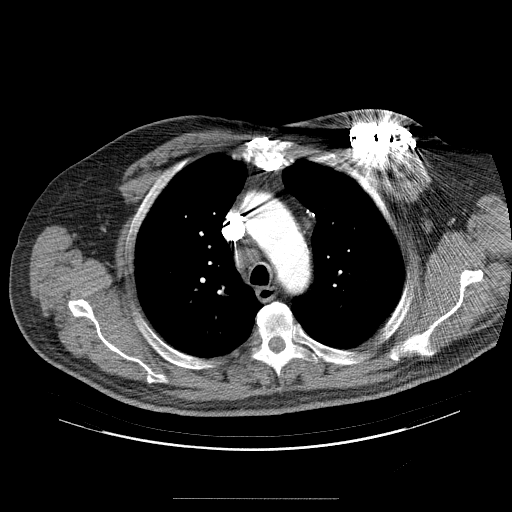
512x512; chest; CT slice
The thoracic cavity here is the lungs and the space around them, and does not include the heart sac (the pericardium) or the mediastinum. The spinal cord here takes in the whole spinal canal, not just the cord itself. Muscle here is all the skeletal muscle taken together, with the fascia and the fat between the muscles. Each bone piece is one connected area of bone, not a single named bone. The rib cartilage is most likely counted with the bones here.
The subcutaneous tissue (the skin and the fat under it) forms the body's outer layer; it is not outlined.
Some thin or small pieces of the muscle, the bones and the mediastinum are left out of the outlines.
{"muscle":[{"outer":[[216,128],[414,153],[431,181],[417,201],[404,204],[403,214],[418,254],[426,259],[447,230],[466,228],[478,198],[497,194],[508,204],[511,230],[511,277],[497,320],[423,361],[423,372],[391,385],[292,390],[241,400],[163,402],[146,383],[108,374],[87,358],[74,357],[30,294],[29,262],[36,238],[46,226],[64,226],[76,234],[73,245],[85,257],[113,264],[119,232],[134,212],[118,189],[128,166],[176,136]],"holes":[[[263,135],[339,155],[370,178],[397,229],[413,297],[387,339],[377,343],[378,329],[350,349],[368,354],[359,363],[294,357],[278,376],[242,346],[214,367],[186,368],[157,353],[134,321],[133,306],[151,324],[126,238],[156,178],[186,157],[230,154]],[[464,269],[481,269],[483,277],[480,281],[472,282],[465,287],[461,305],[452,314],[440,322],[429,335],[429,343],[437,351],[431,356],[407,352],[397,361],[390,358],[388,354],[391,348],[408,337],[424,331],[430,324],[459,300],[459,280],[460,274]],[[77,299],[84,299],[88,302],[98,322],[102,335],[110,343],[125,354],[139,359],[154,372],[164,374],[168,382],[147,382],[147,372],[141,365],[135,361],[125,359],[111,350],[100,339],[94,323],[88,317],[77,317],[73,315],[68,307],[68,301]]]}],"torso":[[[362,108],[407,116],[450,144],[491,155],[508,204],[511,230],[507,303],[491,349],[448,375],[377,399],[278,415],[199,417],[151,411],[118,401],[54,367],[28,344],[10,307],[10,258],[34,201],[68,166],[130,129],[178,115],[215,115],[275,126]]],"mediastinum":[[[244,161],[268,172],[282,170],[281,179],[284,190],[295,197],[315,218],[311,234],[314,279],[306,293],[292,298],[290,308],[279,300],[273,300],[263,305],[258,300],[253,288],[242,280],[236,268],[233,251],[222,234],[225,217],[247,177],[247,168]]],"thoracic_cavity":[[[214,152],[226,152],[234,160],[243,161],[246,168],[245,180],[224,217],[221,234],[232,251],[241,280],[252,288],[262,306],[255,314],[251,334],[241,345],[223,355],[201,357],[173,347],[155,331],[138,298],[133,261],[138,232],[158,196],[186,165]],[[301,158],[330,167],[355,180],[372,200],[395,236],[403,260],[405,280],[394,309],[385,322],[371,336],[350,349],[329,346],[314,339],[304,330],[291,310],[293,298],[306,294],[315,279],[312,234],[316,218],[295,196],[285,190],[282,179],[283,169]]],"bones":[{"outer":[[273,301],[287,305],[303,330],[314,340],[337,349],[365,352],[368,356],[359,363],[349,365],[326,362],[320,358],[314,363],[294,357],[281,368],[278,376],[268,364],[250,359],[247,347],[242,346],[236,356],[231,354],[252,334],[257,312],[264,305]],"hole":[[274,337],[279,337],[280,338],[281,338],[283,340],[283,341],[284,342],[284,347],[281,350],[280,350],[277,352],[276,352],[275,351],[274,351],[273,350],[272,350],[270,348],[270,347],[269,346],[269,342],[270,341],[270,340],[272,338],[273,338]]},[[263,135],[270,139],[292,141],[309,150],[335,153],[349,166],[361,174],[367,175],[384,201],[397,229],[397,235],[394,234],[370,196],[355,179],[342,171],[305,157],[296,159],[282,169],[268,171],[249,161],[234,159],[231,153],[238,146],[253,137]],[[464,269],[481,269],[483,277],[480,281],[472,282],[465,287],[461,305],[452,314],[440,322],[429,335],[429,343],[437,351],[431,356],[407,352],[397,361],[390,358],[388,354],[391,348],[408,337],[424,331],[430,324],[459,300],[459,280],[460,274]],[[133,306],[137,309],[141,316],[154,331],[167,344],[173,348],[183,353],[196,356],[197,357],[200,357],[201,358],[220,357],[221,363],[211,368],[192,369],[191,368],[186,368],[176,365],[164,359],[153,349],[138,329],[134,321],[134,317],[132,314]],[[186,157],[189,158],[188,163],[173,176],[157,196],[139,227],[136,235],[133,251],[127,252],[126,251],[126,238],[128,234],[128,231],[130,228],[130,224],[132,221],[132,219],[141,202],[149,191],[156,178],[161,174],[164,170],[169,168],[175,163]],[[77,299],[84,299],[88,302],[98,322],[102,335],[110,343],[125,354],[139,359],[154,372],[164,374],[168,382],[147,382],[147,372],[141,365],[135,361],[125,359],[111,350],[100,339],[94,323],[88,317],[77,317],[73,315],[68,307],[68,301]],[[408,270],[410,272],[410,279],[413,282],[413,285],[414,286],[414,289],[413,290],[413,297],[411,300],[409,308],[396,330],[387,339],[380,343],[377,343],[380,328],[389,318],[395,309],[401,297],[402,291],[404,287],[404,284],[406,280],[406,273]]],"spinal_cord":[[[274,337],[279,337],[280,338],[281,338],[283,340],[283,341],[284,342],[284,347],[281,350],[280,350],[277,352],[276,352],[275,351],[274,351],[273,350],[272,350],[270,348],[270,347],[269,346],[269,342],[270,341],[270,340],[272,338],[273,338]]]}